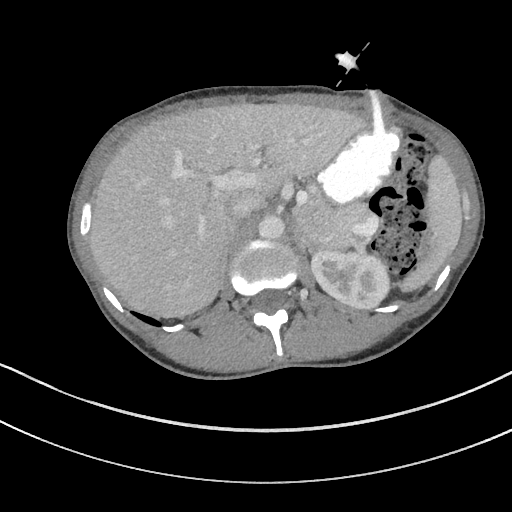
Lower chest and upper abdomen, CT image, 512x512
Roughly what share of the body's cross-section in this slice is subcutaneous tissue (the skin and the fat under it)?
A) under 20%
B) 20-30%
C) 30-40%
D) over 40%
A) under 20%
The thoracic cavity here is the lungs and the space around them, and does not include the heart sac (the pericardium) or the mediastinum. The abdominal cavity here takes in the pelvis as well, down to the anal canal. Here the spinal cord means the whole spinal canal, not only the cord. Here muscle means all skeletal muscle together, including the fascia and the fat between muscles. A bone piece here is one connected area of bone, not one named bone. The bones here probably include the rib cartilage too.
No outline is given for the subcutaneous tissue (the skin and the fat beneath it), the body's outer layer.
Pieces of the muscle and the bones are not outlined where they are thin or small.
{"spinal_cord":[[[270,315],[271,314],[273,314],[279,308],[283,307],[283,306],[287,302],[287,298],[285,295],[284,290],[268,288],[260,291],[252,297],[252,299],[253,300],[253,304],[252,305],[254,309],[258,311],[265,312],[267,314],[269,314]]],"abdominal_cavity":[[[161,324],[183,323],[209,310],[219,300],[233,258],[256,238],[280,242],[303,256],[315,287],[342,305],[367,309],[419,297],[461,237],[461,191],[453,168],[415,130],[362,110],[260,101],[206,106],[145,124],[100,179],[88,233],[92,255],[122,305]]],"torso":[[[206,380],[238,379],[288,367],[363,363],[395,349],[435,318],[449,301],[484,238],[486,215],[481,181],[458,136],[382,90],[334,91],[311,85],[197,88],[164,98],[112,124],[88,154],[74,183],[66,217],[69,253],[101,313],[122,337],[164,368]]],"bones":[{"outer":[[279,356],[283,354],[279,330],[281,325],[288,320],[288,312],[292,307],[289,288],[297,278],[296,259],[286,246],[256,239],[244,246],[234,258],[230,280],[234,289],[248,298],[247,310],[253,322],[257,326],[264,326],[270,331],[275,343],[276,353]],"hole":[[270,315],[271,314],[273,314],[279,308],[283,307],[283,306],[287,302],[287,298],[285,295],[284,290],[268,288],[260,291],[252,297],[252,299],[253,300],[253,304],[252,305],[254,309],[258,311],[265,312],[267,314],[269,314]]},[[83,236],[84,236],[88,232],[89,230],[89,226],[90,225],[90,221],[91,220],[91,206],[92,205],[91,204],[91,202],[89,201],[87,201],[83,204],[82,206],[82,210],[81,211],[81,220],[80,221],[80,233],[81,235]],[[121,312],[124,312],[125,311],[125,310],[121,305],[120,302],[117,299],[117,298],[114,295],[114,294],[109,289],[109,288],[106,285],[103,285],[103,291],[104,292],[104,293],[105,294],[106,297],[108,299],[108,300],[119,311],[120,311]],[[434,291],[436,291],[438,289],[438,288],[441,285],[441,284],[446,278],[446,277],[449,272],[449,270],[450,269],[450,265],[448,263],[445,265],[444,268],[439,274],[439,275],[436,280],[436,282],[435,283],[435,285],[433,287],[433,290]]],"muscle":[{"outer":[[213,372],[244,371],[290,361],[344,358],[382,341],[405,323],[430,309],[442,296],[454,272],[469,254],[479,224],[479,200],[473,173],[464,152],[455,139],[435,124],[400,110],[377,96],[343,96],[299,91],[273,95],[237,93],[185,99],[167,104],[147,114],[132,118],[110,132],[94,152],[83,174],[76,194],[73,210],[72,235],[78,257],[94,283],[105,306],[123,326],[140,337],[147,345],[175,362],[188,367]],"hole":[[279,356],[300,254],[315,287],[345,306],[390,312],[438,289],[462,221],[471,217],[449,161],[415,130],[362,110],[297,102],[206,106],[145,124],[108,166],[93,203],[82,206],[80,233],[89,234],[106,297],[121,312],[177,331],[219,300],[229,275]]}],"thoracic_cavity":[[[153,325],[160,325],[159,322],[158,322],[156,320],[154,320],[152,318],[150,318],[147,316],[144,316],[141,314],[138,314],[135,312],[131,312],[132,314],[133,314],[136,317],[141,319],[145,322],[147,322]]]}